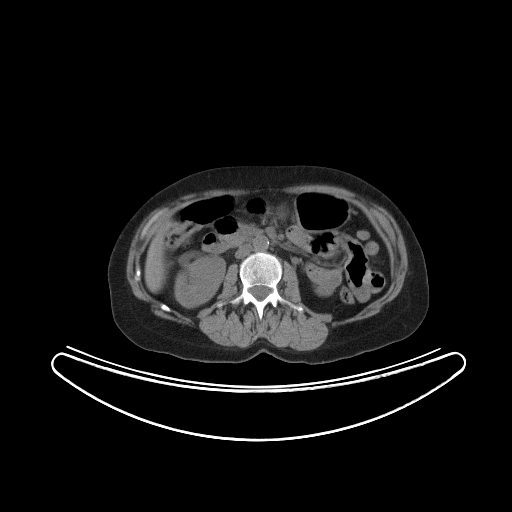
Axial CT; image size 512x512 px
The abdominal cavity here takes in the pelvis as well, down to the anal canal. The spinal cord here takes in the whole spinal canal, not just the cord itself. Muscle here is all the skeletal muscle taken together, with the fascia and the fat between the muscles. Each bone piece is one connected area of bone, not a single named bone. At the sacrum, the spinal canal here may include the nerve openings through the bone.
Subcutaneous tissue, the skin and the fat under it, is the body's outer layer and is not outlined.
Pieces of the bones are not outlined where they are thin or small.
{"muscle":[{"outer":[[298,183],[329,184],[330,185],[334,185],[335,186],[345,188],[357,194],[359,196],[366,198],[383,207],[386,209],[394,218],[401,231],[406,247],[407,262],[408,263],[407,272],[404,278],[403,285],[399,293],[391,301],[387,303],[378,313],[372,316],[360,320],[357,320],[353,322],[350,322],[343,325],[340,325],[333,329],[331,329],[329,331],[328,336],[323,344],[318,348],[313,350],[298,351],[288,347],[279,348],[274,346],[264,338],[259,338],[257,339],[251,345],[245,348],[240,348],[236,346],[227,347],[213,342],[210,340],[205,334],[198,329],[192,328],[190,326],[187,325],[182,325],[156,316],[152,313],[149,306],[146,303],[138,299],[133,294],[126,276],[126,265],[127,264],[127,258],[128,257],[129,248],[137,228],[143,219],[151,211],[158,207],[166,205],[183,195],[189,194],[190,193],[199,192],[204,189],[211,189],[212,188],[244,188],[245,189],[248,189],[249,188],[267,188],[268,187],[273,187],[274,186],[281,186],[282,185],[289,185],[290,184],[297,184]],"holes":[[[265,190],[328,193],[358,207],[389,255],[391,281],[381,296],[343,318],[314,311],[283,260],[278,292],[303,310],[268,304],[260,319],[250,303],[230,303],[242,289],[232,263],[217,299],[192,317],[163,310],[135,280],[152,234],[180,208]],[[155,214],[158,214],[157,215],[157,217],[156,218],[156,219],[151,224],[151,225],[149,227],[149,229],[147,231],[147,232],[145,234],[145,235],[142,238],[141,237],[141,232],[142,231],[142,230],[143,229],[144,226],[147,223],[147,222]]]}],"spinal_cord":[[[255,286],[263,286],[264,287],[267,287],[268,288],[269,288],[271,290],[270,291],[270,292],[263,299],[262,299],[261,300],[258,300],[250,292],[250,291],[249,290],[252,287],[254,287]]],"bones":[{"outer":[[256,252],[267,252],[280,260],[282,274],[277,284],[278,292],[286,300],[301,306],[302,311],[286,304],[279,303],[276,307],[268,304],[260,319],[257,310],[250,303],[246,305],[230,303],[230,300],[239,295],[242,289],[239,277],[241,262],[250,254]],"hole":[[255,286],[263,286],[264,287],[267,287],[268,288],[269,288],[271,290],[270,291],[270,292],[263,299],[262,299],[261,300],[258,300],[250,292],[250,291],[249,290],[252,287],[254,287]]},[[155,214],[158,214],[157,215],[157,217],[156,218],[156,219],[151,224],[151,225],[149,227],[149,229],[147,231],[147,232],[145,234],[145,235],[142,238],[141,237],[141,232],[142,231],[142,230],[143,229],[144,226],[147,223],[147,222]]],"abdominal_cavity":[[[265,190],[328,193],[358,207],[386,246],[391,276],[386,291],[354,314],[336,318],[302,301],[292,265],[282,263],[273,253],[256,251],[238,266],[228,266],[217,299],[194,317],[152,297],[142,283],[140,260],[152,234],[167,218],[200,199]]],"torso":[[[245,164],[314,164],[334,167],[361,177],[387,195],[408,220],[425,259],[429,307],[419,327],[402,340],[321,364],[286,362],[265,352],[239,363],[185,360],[143,349],[130,341],[113,320],[107,281],[109,257],[124,225],[148,198],[174,181],[211,167]]]}